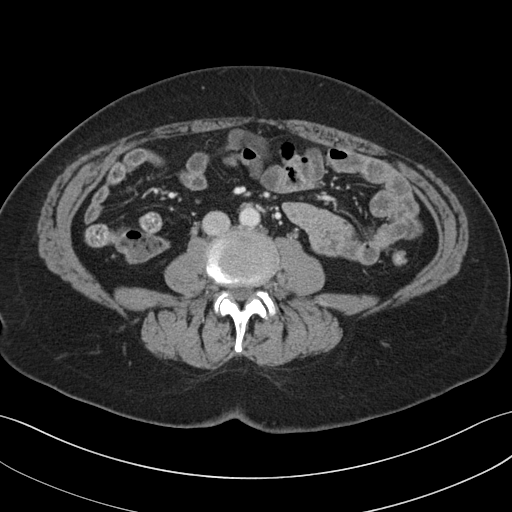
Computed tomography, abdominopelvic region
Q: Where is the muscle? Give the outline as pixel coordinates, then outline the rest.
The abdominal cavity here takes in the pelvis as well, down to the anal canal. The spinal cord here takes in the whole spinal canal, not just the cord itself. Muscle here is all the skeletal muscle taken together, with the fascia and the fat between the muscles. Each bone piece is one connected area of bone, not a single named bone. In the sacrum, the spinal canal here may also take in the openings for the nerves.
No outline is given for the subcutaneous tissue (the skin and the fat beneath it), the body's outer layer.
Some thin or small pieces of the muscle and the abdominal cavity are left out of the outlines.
A: The muscle is outlined by 252,115 272,119 301,119 324,124 367,139 422,164 450,188 463,207 468,224 467,249 459,271 443,287 397,307 351,321 346,325 343,335 335,347 303,367 294,370 272,370 259,366 241,356 233,357 217,369 205,372 183,371 156,357 120,317 103,305 63,284 42,263 37,247 37,222 42,205 56,176 80,153 111,139 168,123 210,117 245,117 with a hole at 249,122 389,165 429,211 438,245 379,301 318,292 320,261 274,238 278,266 261,288 278,310 250,316 237,352 231,316 213,310 220,288 204,237 164,268 175,294 121,285 112,295 81,262 71,227 130,148. The torso is outlined by 236,64 299,68 355,85 430,136 461,167 496,218 511,268 508,343 491,370 437,397 388,415 316,431 268,433 238,419 201,428 168,427 130,419 34,381 0,357 0,207 20,178 72,128 119,96 178,73. The abdominal cavity is outlined by 249,122 389,165 429,211 438,236 435,255 410,282 379,301 368,293 318,292 326,281 323,266 297,239 239,229 209,242 189,239 163,270 175,294 123,285 112,295 106,291 78,257 71,227 118,156 148,141. The bones are outlined by 239,230 258,232 270,238 277,249 279,261 272,278 261,286 278,310 267,318 255,313 250,316 241,343 242,350 237,352 234,349 235,325 231,316 223,316 213,310 212,305 220,288 208,276 205,266 209,243, around a hole outlined by 230,284 241,284 242,285 249,285 251,286 254,289 254,291 253,293 249,297 249,298 248,298 246,300 242,302 237,302 234,300 232,300 229,297 229,293 226,290 226,288 227,286. The spinal cord is outlined by 230,284 241,284 242,285 249,285 251,286 254,289 254,291 253,293 249,297 249,298 248,298 246,300 242,302 237,302 234,300 232,300 229,297 229,293 226,290 226,288 227,286.